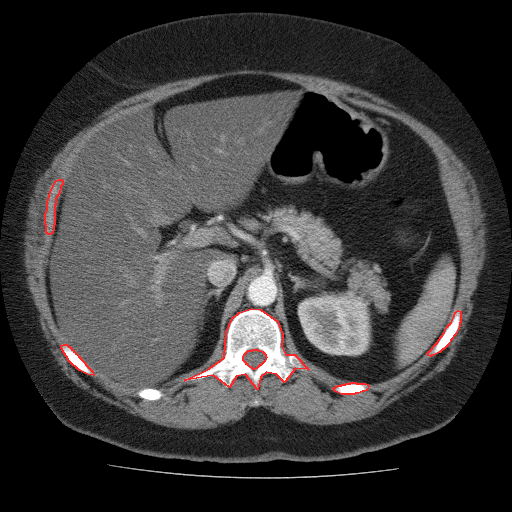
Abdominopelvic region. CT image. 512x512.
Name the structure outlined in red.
red: bones.
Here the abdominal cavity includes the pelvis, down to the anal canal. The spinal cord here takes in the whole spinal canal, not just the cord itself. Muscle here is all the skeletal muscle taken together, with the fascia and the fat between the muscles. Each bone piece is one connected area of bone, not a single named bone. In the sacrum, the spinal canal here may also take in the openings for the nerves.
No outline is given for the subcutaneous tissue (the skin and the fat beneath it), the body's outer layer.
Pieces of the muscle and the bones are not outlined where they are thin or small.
Outlined structures:
bones 1: 251 308; 260 309; 277 321; 282 334; 281 346; 285 354; 294 354; 308 369; 295 368; 284 382; 276 374; 266 372; 260 377; 257 389; 245 374; 236 376; 229 387; 213 375; 184 380; 209 368; 224 357; 226 332; 232 318; 239 312; inner edge: 253 349; 257 349; 258 350; 260 350; 262 351; 265 354; 265 356; 266 357; 264 361; 260 365; 259 365; 256 368; 254 369; 253 369; 247 364; 246 364; 246 363; 243 360; 243 356; 244 354; 248 350; 252 350
bones 2: 458 310; 460 311; 460 322; 459 323; 459 326; 455 334; 450 340; 448 344; 443 349; 442 349; 439 352; 433 355; 431 355; 430 356; 428 355; 427 353; 438 341; 438 340; 444 332; 447 326; 451 322; 454 316; 454 314; 455 312
bones 3: 58 179; 61 179; 62 180; 62 184; 60 186; 59 193; 55 198; 55 204; 54 205; 54 224; 53 225; 53 229; 52 232; 50 234; 48 234; 46 232; 46 225; 45 224; 45 214; 47 209; 47 202; 51 189; 56 180
bones 4: 63 344; 66 344; 68 346; 69 346; 71 348; 71 349; 73 350; 73 351; 75 352; 75 353; 77 354; 78 356; 79 356; 79 357; 85 363; 85 364; 92 371; 93 375; 87 374; 79 370; 69 361; 61 348; 61 345
bones 5: 351 382; 355 382; 356 383; 365 383; 367 384; 368 386; 366 390; 364 391; 362 391; 358 393; 355 393; 354 394; 341 394; 335 391; 333 388; 338 385; 341 385; 342 384; 345 384; 346 383; 350 383
abdominal cavity: 236 75; 287 80; 394 118; 437 159; 459 246; 458 289; 437 341; 399 373; 373 383; 336 377; 306 359; 289 332; 283 336; 278 321; 257 307; 231 318; 205 363; 157 388; 94 371; 58 329; 46 284; 55 217; 86 144; 148 105
muscle: 242 69; 294 72; 326 77; 357 86; 384 98; 421 121; 436 132; 465 164; 476 182; 479 191; 481 206; 485 212; 484 221; 486 226; 485 233; 486 256; 485 264; 482 270; 481 277; 473 301; 471 317; 467 323; 467 331; 458 345; 458 349; 455 356; 452 358; 444 370; 437 373; 432 378; 426 380; 415 389; 401 396; 372 416; 340 424; 318 425; 300 422; 287 415; 276 414; 263 407; 253 407; 249 409; 245 415; 240 419; 230 425; 219 428; 182 429; 163 426; 129 413; 124 409; 106 402; 78 387; 70 379; 66 377; 61 368; 57 364; 57 362; 54 359; 54 356; 49 349; 48 342; 45 339; 41 329; 38 319; 38 311; 34 304; 26 281; 27 274; 25 272; 25 266; 23 260; 24 246; 22 242; 24 239; 23 234; 26 229; 25 221; 27 217; 27 209; 30 196; 34 189; 37 179; 49 166; 56 153; 70 138; 88 125; 104 110; 120 100; 144 90; 147 90; 155 85; 163 84; 166 82; 205 74; 221 73; 226 71 with holes at 236 75; 271 76; 338 96; 400 121; 429 146; 441 171; 460 259; 449 319; 450 323; 459 310; 460 322; 439 352; 426 353; 399 373; 368 383; 364 391; 341 394; 333 388; 350 382; 306 359; 287 330; 281 345; 285 354; 294 354; 308 369; 295 368; 284 382; 266 372; 257 389; 247 375; 238 375; 226 387; 213 375; 184 380; 224 357; 226 338; 222 331; 208 360; 158 387; 163 396; 156 400; 140 397; 137 391; 142 388; 137 385; 93 369; 93 375; 87 374; 66 357; 61 348; 66 342; 54 320; 46 284; 55 232; 46 232; 45 214; 56 180; 61 179; 62 184; 55 198; 55 217; 79 156; 105 126; 175 94 and at 255 399; 256 399; 257 399; 258 400; 259 401; 260 402; 260 403; 260 404; 259 405; 258 406; 257 406; 256 406; 255 406; 254 406; 253 405; 252 405; 252 404; 252 403; 252 402; 253 401; 254 400
torso: 234 11; 311 16; 392 39; 449 88; 489 151; 503 191; 511 239; 506 307; 477 383; 454 417; 436 431; 329 461; 218 463; 154 457; 67 427; 38 390; 21 357; 4 302; 0 239; 10 183; 38 121; 72 77; 122 37; 171 20
spinal cord: 253 349; 257 349; 258 350; 260 350; 262 351; 265 354; 265 356; 266 357; 264 361; 260 365; 259 365; 256 368; 254 369; 253 369; 247 364; 246 364; 246 363; 243 360; 243 356; 244 354; 248 350; 252 350